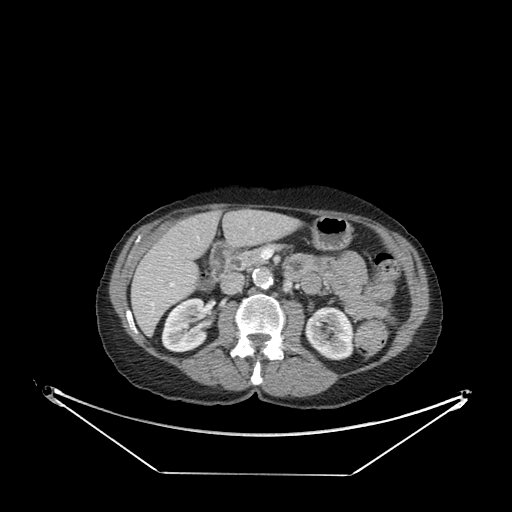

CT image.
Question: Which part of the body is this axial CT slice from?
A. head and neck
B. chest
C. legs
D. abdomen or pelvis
Answer: D. abdomen or pelvis
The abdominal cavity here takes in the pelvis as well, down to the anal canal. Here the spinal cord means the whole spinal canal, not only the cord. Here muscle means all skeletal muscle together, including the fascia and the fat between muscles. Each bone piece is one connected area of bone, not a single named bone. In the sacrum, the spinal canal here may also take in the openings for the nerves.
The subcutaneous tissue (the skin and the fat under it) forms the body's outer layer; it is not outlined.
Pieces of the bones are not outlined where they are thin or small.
The bones appear in 2 outlined pieces: piece 1: (256, 293) (275, 298) (285, 315) (285, 322) (281, 330) (285, 345) (283, 358) (272, 360) (263, 355) (260, 356) (262, 382) (258, 385) (254, 385) (250, 380) (256, 359) (250, 356) (242, 358) (230, 355) (230, 351) (238, 339) (238, 328) (235, 322) (236, 310) (243, 298), around a hole outlined by (257, 333) (261, 333) (262, 334) (267, 334) (269, 335) (270, 337) (269, 339) (266, 340) (263, 343) (264, 345) (263, 346) (261, 346) (260, 347) (255, 347) (253, 345) (253, 343) (252, 341) (248, 338) (248, 335) (250, 334) (256, 334); piece 2: (127, 308) (128, 308) (131, 311) (131, 314) (133, 317) (133, 320) (134, 321) (134, 322) (135, 323) (135, 325) (139, 332) (139, 333) (138, 334) (136, 334) (130, 328) (130, 327) (129, 326) (129, 324) (128, 323) (128, 321) (127, 320) (127, 318) (126, 317) (126, 309). The torso is outlined by (233, 181) (271, 187) (328, 185) (371, 202) (399, 221) (424, 247) (441, 289) (442, 330) (428, 358) (401, 381) (329, 409) (282, 407) (260, 400) (256, 393) (225, 406) (201, 405) (165, 399) (131, 385) (106, 354) (97, 331) (95, 292) (109, 253) (146, 213) (196, 189). The spinal cord is outlined by (257, 333) (261, 333) (262, 334) (267, 334) (269, 335) (270, 337) (269, 339) (266, 340) (263, 343) (264, 345) (263, 346) (261, 346) (260, 347) (255, 347) (253, 345) (253, 343) (252, 341) (248, 338) (248, 335) (250, 334) (256, 334). The abdominal cavity is outlined by (229, 208) (341, 217) (379, 234) (402, 269) (411, 302) (385, 351) (362, 365) (333, 369) (301, 342) (302, 304) (286, 299) (281, 306) (263, 292) (243, 297) (238, 306) (226, 304) (217, 316) (217, 336) (190, 355) (165, 353) (144, 337) (127, 299) (134, 266) (186, 215). The muscle is outlined by (210, 203) (269, 204) (346, 212) (368, 217) (403, 236) (421, 258) (430, 298) (427, 315) (411, 343) (380, 365) (340, 378) (320, 393) (278, 397) (265, 392) (259, 386) (263, 382) (261, 356) (272, 361) (284, 358) (284, 301) (295, 300) (302, 306) (301, 344) (326, 366) (341, 372) (376, 360) (386, 351) (410, 316) (411, 293) (401, 265) (380, 234) (367, 225) (341, 216) (268, 207) (229, 207) (190, 212) (150, 242) (130, 273) (125, 317) (136, 335) (141, 334) (161, 352) (187, 357) (218, 336) (220, 312) (229, 303) (236, 303) (234, 322) (237, 339) (229, 355) (232, 358) (255, 359) (249, 378) (253, 385) (238, 391) (203, 385) (147, 353) (125, 332) (109, 298) (109, 281) (117, 257) (128, 238) (142, 225) (176, 209); inner edge: (139, 234) (140, 234) (141, 234) (141, 235) (142, 236) (141, 237) (141, 238) (141, 239) (140, 240) (140, 241) (139, 242) (138, 243) (137, 243) (136, 244) (135, 243) (135, 242) (135, 241) (135, 240) (136, 239) (136, 238) (137, 237) (137, 236) (138, 235).